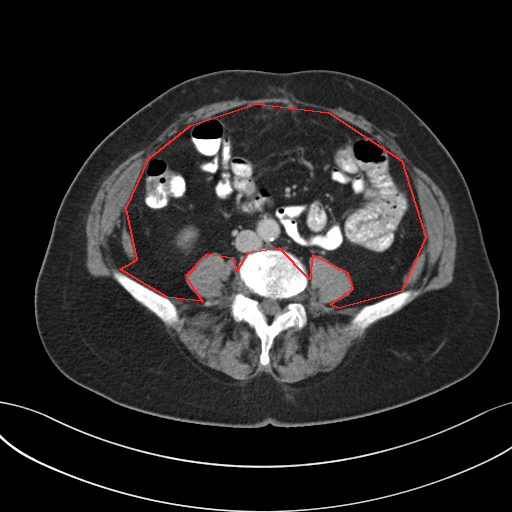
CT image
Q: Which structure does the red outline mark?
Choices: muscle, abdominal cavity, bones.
A: red: abdominal cavity.
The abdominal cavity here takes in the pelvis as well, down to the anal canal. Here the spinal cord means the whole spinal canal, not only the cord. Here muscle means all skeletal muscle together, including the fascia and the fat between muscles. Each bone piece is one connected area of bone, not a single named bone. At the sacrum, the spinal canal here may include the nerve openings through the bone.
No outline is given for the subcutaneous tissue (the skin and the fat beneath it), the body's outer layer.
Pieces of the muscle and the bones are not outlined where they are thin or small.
The abdominal cavity is outlined by (256, 103) (328, 112) (401, 160) (425, 237) (401, 291) (338, 308) (330, 304) (353, 288) (348, 273) (312, 255) (309, 279) (279, 248) (247, 253) (237, 270) (233, 258) (206, 254) (185, 276) (202, 301) (167, 297) (120, 269) (137, 259) (126, 208) (149, 158) (190, 125). The bones appear in 3 outlined pieces: piece 1: (263, 248) (290, 252) (301, 261) (308, 276) (305, 289) (293, 298) (305, 307) (306, 323) (300, 329) (289, 327) (273, 339) (267, 365) (262, 365) (259, 361) (261, 341) (254, 329) (243, 320) (236, 321) (230, 306) (235, 294) (244, 289) (238, 271) (240, 260) (247, 254) with a hole at (262, 298) (270, 298) (273, 300) (276, 300) (279, 303) (279, 305) (281, 308) (280, 309) (280, 311) (279, 312) (278, 312) (276, 314) (275, 314) (273, 316) (268, 316) (267, 315) (266, 315) (260, 309) (260, 308) (259, 307) (259, 304) (260, 303) (260, 301) (262, 299); piece 2: (114, 271) (122, 272) (132, 279) (142, 284) (156, 293) (166, 297) (175, 306) (179, 315) (179, 318) (181, 320) (181, 323) (180, 322) (173, 325) (169, 325) (164, 322) (156, 315) (155, 313) (146, 307) (142, 303) (136, 300) (118, 283) (114, 278) (113, 275) (113, 272); piece 3: (405, 290) (406, 291) (408, 290) (417, 291) (417, 294) (411, 301) (404, 305) (401, 308) (387, 316) (382, 317) (374, 321) (362, 331) (357, 329) (351, 329) (350, 328) (350, 322) (352, 318) (364, 306) (369, 304) (372, 304) (375, 302) (377, 302) (380, 300) (382, 300). The muscle appears in 2 outlined pieces: piece 1: (213, 252) (234, 260) (243, 289) (234, 294) (230, 314) (258, 337) (262, 366) (270, 363) (279, 334) (307, 323) (306, 307) (294, 298) (309, 283) (312, 256) (325, 258) (351, 279) (349, 294) (329, 304) (338, 309) (362, 307) (349, 322) (351, 330) (362, 332) (384, 318) (366, 331) (344, 366) (309, 388) (287, 389) (265, 372) (242, 384) (211, 379) (180, 350) (160, 319) (169, 326) (182, 323) (168, 297) (204, 300) (189, 287) (186, 276); piece 2: (236, 97) (247, 100) (295, 98) (347, 110) (388, 133) (410, 161) (434, 181) (449, 204) (456, 235) (451, 282) (415, 299) (417, 290) (402, 290) (406, 273) (426, 242) (418, 194) (402, 160) (373, 133) (328, 111) (301, 103) (281, 102) (248, 103) (201, 119) (157, 148) (143, 165) (125, 208) (125, 227) (136, 259) (133, 262) (122, 259) (121, 271) (112, 272) (117, 282) (109, 277) (93, 276) (86, 266) (85, 225) (103, 180) (180, 115) (210, 102). The spinal cord is outlined by (262, 298) (270, 298) (273, 300) (276, 300) (279, 303) (279, 305) (281, 308) (280, 309) (280, 311) (279, 312) (278, 312) (276, 314) (275, 314) (273, 316) (268, 316) (267, 315) (266, 315) (260, 309) (260, 308) (259, 307) (259, 304) (260, 303) (260, 301) (262, 299). The torso is outlined by (222, 69) (330, 69) (353, 74) (395, 94) (439, 138) (468, 185) (499, 291) (495, 339) (483, 362) (470, 375) (421, 399) (363, 417) (317, 425) (247, 428) (190, 423) (130, 409) (75, 383) (53, 364) (37, 330) (34, 289) (67, 188) (94, 148) (130, 115) (168, 88).